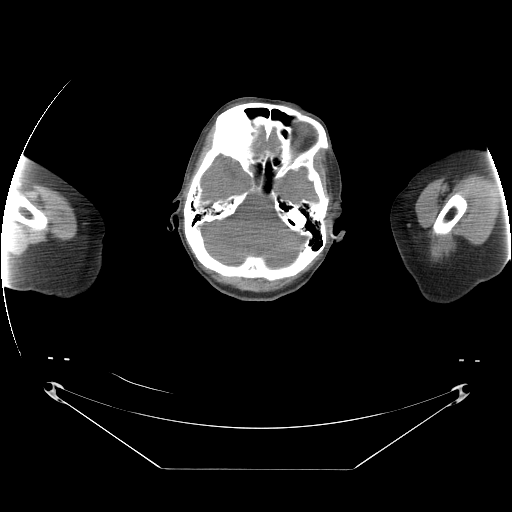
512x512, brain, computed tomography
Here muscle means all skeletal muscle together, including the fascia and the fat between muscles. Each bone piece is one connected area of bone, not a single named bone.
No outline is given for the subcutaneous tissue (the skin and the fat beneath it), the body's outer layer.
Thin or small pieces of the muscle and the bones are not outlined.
Outlines (x, y in pixels):
bones 1: 248,102 265,102 291,107 318,121 325,130 328,142 328,148 326,149 320,148 315,154 313,160 314,168 318,172 322,185 329,198 326,210 327,224 326,243 323,249 302,270 292,276 274,280 268,280 261,277 246,278 240,276 225,276 205,267 196,259 184,234 183,215 184,202 192,177 200,165 205,153 211,146 212,132 215,119 224,110 234,105, around holes outlined by 252,193 263,194 264,196 265,194 271,200 273,209 279,219 291,231 303,238 299,245 299,251 291,262 271,267 263,256 247,255 238,264 228,264 214,257 208,251 201,226 206,222 220,221 233,215 247,196 and by 219,155 222,155 225,157 229,157 232,160 236,161 239,164 241,169 249,177 250,186 240,193 231,194 224,198 219,197 214,200 209,198 208,199 207,198 204,199 202,197 203,190 201,186 201,180 204,174 and by 301,168 305,168 306,170 306,174 305,176 306,178 312,183 313,190 317,198 316,200 302,198 299,201 293,201 291,199 280,196 276,190 278,186 278,182 280,179 283,178 289,171 292,170 295,172 297,172 and by 294,120 297,122 305,122 306,123 308,123 312,126 312,127 315,130 316,132 316,139 315,141 307,148 299,152 296,152 294,150 294,148 292,145 292,140 293,139 293,127 291,125 291,122 and by 273,131 275,134 275,146 274,147 274,149 270,149 266,147 259,151 256,150 254,147 254,145 255,144 259,144 260,143 259,141 258,142 259,136 262,134 263,132 263,139 265,141 267,141 270,138 270,136 and by 274,110 276,110 277,111 278,111 279,112 280,112 283,114 285,114 287,116 288,116 290,118 291,118 290,119 289,122 287,124 286,123 284,123 280,119 279,119 278,118 274,118 273,117 273,112 274,111 and by 248,109 264,109 265,110 267,110 267,112 268,113 267,114 267,115 266,116 265,116 263,114 256,114 255,115 254,115 253,116 250,116 248,114 248,113 247,112 247,110
bones 2: 11,181 15,186 18,187 20,189 22,193 24,194 38,209 42,210 44,212 45,215 48,218 47,229 36,231 35,230 32,230 29,227 23,224 20,224 15,221 10,220 7,218 3,218 6,199 9,191
bones 3: 457,192 459,192 467,202 467,208 465,212 463,214 463,215 458,220 458,221 453,226 451,230 448,233 446,234 435,234 433,232 433,230 432,229 432,226 440,210 443,207 444,204 449,199 449,198
left arm: 462,147 481,148 486,152 488,151 490,155 503,193 503,211 505,210 509,215 508,231 511,236 511,255 502,271 495,277 481,282 456,301 436,304 424,298 406,274 392,235 389,214 395,197 416,172 448,152
right arm: 21,156 25,156 44,165 70,182 91,200 103,217 105,231 103,237 102,266 96,280 91,287 79,295 70,298 59,298 32,290 16,290 2,282 0,273 0,233 2,230 3,214 11,180 17,166 18,159
muscle 1: 457,170 465,170 474,173 491,183 497,189 500,195 501,204 498,221 494,231 483,244 479,246 471,246 467,250 441,264 432,264 428,260 426,246 419,233 420,227 417,222 414,205 420,192 430,181 with a hole at 457,192 459,192 467,202 467,208 465,212 463,214 463,215 458,220 458,221 453,226 451,230 448,233 446,234 435,234 433,232 433,230 432,229 432,226 440,210 443,207 444,204 449,199 449,198
muscle 2: 13,176 30,183 51,187 63,193 74,209 78,223 77,234 66,241 35,245 33,249 20,255 11,255 0,251 0,233 3,219 23,225 36,232 47,230 49,224 49,218 45,212 38,208 14,184 11,180
muscle 3: 327,237 329,241 322,256 293,283 274,291 244,291 233,288 229,285 222,284 212,278 200,267 198,263 200,263 205,268 225,277 240,277 246,279 261,278 268,281 280,280 292,277 302,271 324,249 327,243
muscle 4: 320,149 324,149 325,150 328,149 327,152 327,159 329,160 331,166 331,179 333,182 334,200 336,203 336,208 327,216 327,210 328,209 328,205 329,204 330,198 323,185 320,174 315,168 314,165 315,156
muscle 5: 213,122 213,126 211,132 211,143 210,146 204,153 199,165 191,177 188,186 188,189 183,202 182,194 185,188 188,174 192,167 192,164 194,162 194,160 198,153 198,150 200,148 202,141 209,127
head: 242,96 296,102 319,116 329,132 341,174 342,211 332,232 345,229 343,239 331,246 305,284 271,301 242,301 215,289 188,259 178,235 178,218 175,215 172,219 174,225 174,229 167,230 170,216 178,206 172,200 202,128 220,106, around holes outlined by 274,110 276,110 277,111 278,111 279,112 280,112 283,114 285,114 287,116 288,116 290,118 291,118 290,119 289,122 287,124 286,123 284,123 280,119 279,119 278,118 274,118 273,117 273,112 274,111 and by 248,109 264,109 265,110 267,110 267,112 268,113 267,114 267,115 266,116 265,116 263,114 256,114 255,115 254,115 253,116 250,116 248,114 248,113 247,112 247,110
brain 1: 252,193 263,194 264,196 265,194 271,200 273,209 279,219 291,231 303,238 299,245 299,251 291,262 271,267 263,256 247,255 238,264 228,264 214,257 208,251 201,226 206,222 220,221 233,215 247,196
brain 2: 219,155 222,155 225,157 229,157 232,160 236,161 239,164 241,169 249,177 250,186 240,193 231,194 224,198 219,197 214,200 209,198 208,199 207,198 204,199 202,197 203,190 201,186 201,180 204,174
brain 3: 301,168 305,168 306,170 306,174 305,176 306,178 312,183 313,190 317,198 316,200 302,198 299,201 293,201 291,199 280,196 276,190 278,186 278,182 280,179 283,178 289,171 292,170 295,172 297,172
brain 4: 273,131 275,134 275,146 274,147 274,149 270,149 266,147 259,151 256,150 254,147 254,145 255,144 259,144 260,143 259,141 258,142 259,136 262,134 263,132 263,139 265,141 267,141 270,138 270,136